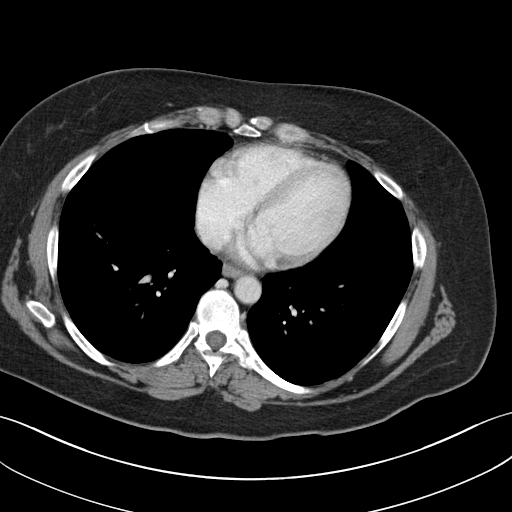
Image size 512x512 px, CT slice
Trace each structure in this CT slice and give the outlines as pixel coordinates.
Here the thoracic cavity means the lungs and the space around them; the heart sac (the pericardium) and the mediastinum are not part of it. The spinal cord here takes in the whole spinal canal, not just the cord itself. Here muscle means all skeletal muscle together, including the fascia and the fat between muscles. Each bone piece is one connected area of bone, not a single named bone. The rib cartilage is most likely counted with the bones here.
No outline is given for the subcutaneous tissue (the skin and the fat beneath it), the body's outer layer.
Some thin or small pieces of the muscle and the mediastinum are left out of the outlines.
The pericardium is outlined by 260 139; 284 142; 319 152; 336 159; 345 168; 350 178; 352 190; 351 203; 343 228; 334 241; 316 259; 301 267; 279 272; 261 272; 241 267; 212 254; 202 243; 194 230; 198 196; 201 184; 210 166; 231 146; 245 140; 250 141. The muscle appears in 3 outlined pieces: piece 1: 142 121; 127 139; 97 159; 98 153; 90 152; 69 170; 60 184; 67 194; 59 223; 53 223; 46 236; 49 276; 53 282; 57 277; 67 310; 60 314; 63 325; 90 359; 107 367; 115 365; 107 356; 132 364; 151 362; 151 367; 159 368; 176 362; 192 345; 206 362; 210 378; 228 354; 242 368; 299 395; 314 393; 312 386; 338 378; 360 361; 366 365; 400 326; 412 273; 426 260; 427 241; 417 225; 410 228; 401 202; 405 195; 402 187; 437 241; 455 311; 451 332; 371 393; 323 405; 263 404; 254 411; 224 401; 213 388; 164 400; 60 362; 35 343; 5 309; 0 299; 5 270; 32 209; 55 174; 108 133 with a hole at 30 299; 39 301; 41 303; 42 303; 54 315; 54 317; 55 318; 55 322; 54 324; 51 327; 45 327; 43 325; 43 324; 38 319; 38 318; 36 317; 28 309; 25 303; 26 301; piece 2: 266 114; 297 123; 332 136; 354 148; 363 151; 373 158; 380 166; 385 169; 397 180; 401 186; 389 175; 379 169; 374 169; 371 173; 357 161; 344 157; 340 154; 332 151; 293 143; 305 142; 310 137; 309 133; 303 127; 299 125; 287 122; 279 123; 276 125; 273 129; 273 133; 280 140; 267 137; 260 137; 263 133; 262 132; 268 130; 274 124; 274 121; 269 116; 259 115; 265 115; piece 3: 201 105; 227 106; 237 110; 246 117; 250 117; 247 121; 243 121; 242 122; 238 112; 232 108; 227 108; 223 113; 221 113; 219 110; 213 107; 199 106; 196 109; 196 117; 202 126; 204 126; 205 127; 207 128; 211 128; 216 127; 221 121; 222 118; 223 123; 227 127; 230 128; 232 130; 232 132; 215 130; 211 128; 206 128; 205 127; 204 127; 179 127; 179 122; 176 119; 172 118; 146 120; 169 112; 181 110; 192 106; 200 106. The thoracic cavity appears in 2 outlined pieces: piece 1: 173 128; 211 129; 228 135; 232 140; 232 144; 212 162; 203 177; 193 227; 201 243; 221 262; 220 278; 200 296; 193 319; 170 349; 153 361; 132 363; 105 355; 96 348; 66 308; 58 281; 60 218; 68 193; 94 161; 129 138; piece 2: 350 160; 365 168; 386 191; 400 201; 410 229; 412 272; 402 298; 370 351; 338 377; 307 386; 282 377; 263 360; 251 341; 246 327; 246 317; 262 295; 262 280; 266 275; 294 270; 313 262; 341 233; 352 203; 352 182; 347 170. The spinal cord is outlined by 212 331; 219 331; 221 333; 222 333; 225 336; 225 342; 223 344; 223 345; 222 345; 220 347; 219 347; 216 350; 214 350; 208 344; 208 343; 206 340; 206 337; 207 336; 207 334; 208 333; 209 333. The bones appear in 11 outlined pieces: piece 1: 211 288; 224 290; 235 300; 241 324; 246 328; 254 349; 275 373; 315 391; 299 394; 283 389; 254 370; 242 367; 238 359; 228 353; 223 355; 223 361; 210 377; 207 362; 192 344; 176 361; 151 366; 182 337; 195 317; 199 299; inner edge: 212 331; 219 331; 221 333; 222 333; 225 336; 225 342; 223 344; 223 345; 222 345; 220 347; 219 347; 216 350; 214 350; 208 344; 208 343; 206 340; 206 337; 207 336; 207 334; 208 333; 209 333; piece 2: 199 107; 213 108; 221 114; 227 109; 232 109; 237 112; 242 123; 247 122; 254 116; 267 116; 273 121; 273 124; 268 129; 262 131; 260 136; 241 135; 233 132; 224 123; 222 117; 216 126; 207 127; 202 125; 197 117; 197 109; piece 3: 63 311; 65 311; 69 315; 74 324; 85 338; 96 349; 101 352; 108 360; 113 362; 114 365; 107 366; 98 363; 96 361; 90 358; 79 347; 79 346; 73 340; 64 325; 62 319; 62 316; 61 315; piece 4: 403 298; 405 298; 407 300; 407 305; 406 306; 406 310; 404 316; 399 326; 390 340; 385 345; 385 346; 372 359; 371 359; 366 364; 363 365; 361 362; 361 360; 369 354; 372 350; 375 349; 377 347; 378 340; 388 325; 398 305; piece 5: 92 152; 96 152; 97 153; 97 155; 95 159; 92 162; 91 165; 88 168; 85 173; 80 178; 80 179; 75 184; 75 185; 67 193; 63 192; 61 190; 61 184; 67 174; 70 171; 70 170; 80 160; 81 160; 84 157; 85 157; piece 6: 55 223; 56 223; 58 225; 58 243; 57 244; 57 276; 55 280; 53 281; 50 276; 50 273; 49 272; 49 269; 48 268; 48 264; 47 263; 47 251; 46 249; 47 248; 47 236; 48 235; 48 232; 50 228; 53 225; 53 224; piece 7: 414 226; 417 226; 420 229; 421 232; 423 234; 425 238; 425 240; 426 241; 426 246; 427 247; 424 263; 422 267; 416 270; 413 270; 413 258; 412 257; 412 249; 411 248; 411 231; piece 8: 283 123; 287 123; 288 124; 299 126; 303 128; 308 133; 309 137; 306 139; 305 141; 302 141; 301 142; 300 141; 299 142; 293 142; 292 143; 290 143; 289 142; 282 141; 275 135; 274 133; 274 129; 276 126; 279 124; 282 124; piece 9: 164 119; 172 119; 173 120; 176 120; 178 122; 178 127; 168 128; 167 129; 164 129; 154 133; 146 133; 145 134; 141 134; 140 135; 129 137; 130 132; 135 128; 141 125; 144 122; 146 121; 151 121; 152 120; 163 120; piece 10: 30 299; 39 301; 41 303; 42 303; 54 315; 54 317; 55 318; 55 322; 54 324; 51 327; 45 327; 43 325; 43 324; 38 319; 38 318; 36 317; 28 309; 25 303; 26 301; piece 11: 374 170; 379 170; 383 173; 386 174; 388 176; 389 176; 393 180; 394 180; 401 187; 401 188; 402 189; 402 191; 404 193; 404 195; 401 200; 396 198; 393 195; 392 195; 387 190; 386 190; 378 182; 378 181; 372 174; 372 172. The mediastinum appears in 2 outlined pieces: piece 1: 220 260; 247 270; 251 270; 254 272; 273 273; 266 274; 262 278; 261 280; 262 287; 261 295; 259 299; 248 310; 245 317; 245 326; 242 324; 242 318; 239 305; 232 295; 224 289; 220 289; 218 287; 213 287; 221 278; 222 262; piece 2: 296 145; 309 147; 310 148; 318 149; 319 150; 323 150; 328 152; 332 152; 335 154; 340 155; 344 158; 346 158; 349 160; 346 164; 346 169; 343 164; 336 158; 334 158; 319 151; 315 151; 306 147; 302 147; 301 146. The torso is outlined by 132 67; 360 89; 407 106; 443 131; 459 148; 476 177; 489 228; 496 319; 488 354; 477 375; 462 386; 422 399; 382 422; 360 429; 329 435; 238 440; 188 437; 131 425; 0 371; 0 144; 14 124; 50 94; 98 73.